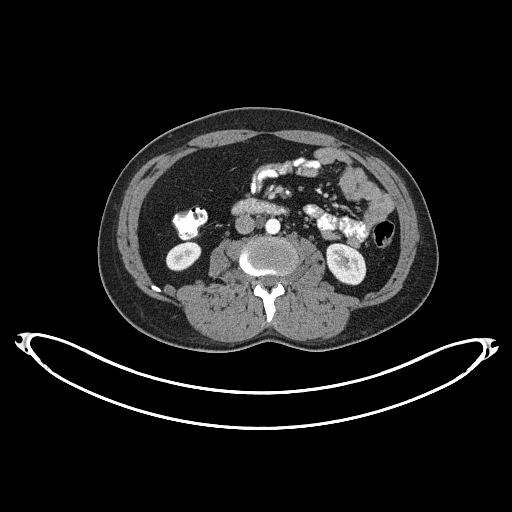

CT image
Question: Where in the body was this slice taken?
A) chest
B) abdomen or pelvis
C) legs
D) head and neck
Answer: B) abdomen or pelvis
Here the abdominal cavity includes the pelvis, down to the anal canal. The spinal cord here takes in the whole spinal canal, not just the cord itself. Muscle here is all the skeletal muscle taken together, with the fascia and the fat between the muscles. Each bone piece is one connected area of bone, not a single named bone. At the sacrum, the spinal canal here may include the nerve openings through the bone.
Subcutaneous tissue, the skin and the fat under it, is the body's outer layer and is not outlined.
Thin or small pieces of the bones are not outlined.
Outlined structures:
muscle: [[230,343],[248,340],[265,329],[273,329],[281,335],[297,341],[325,340],[337,335],[343,330],[353,310],[382,303],[401,289],[415,257],[419,241],[418,223],[411,197],[403,180],[383,160],[323,133],[308,130],[259,132],[228,129],[212,131],[191,139],[178,148],[152,157],[136,171],[122,196],[116,231],[117,246],[126,270],[133,278],[135,285],[145,294],[157,300],[179,306],[183,310],[190,325],[202,336],[214,341]], around a hole outlined by [[267,322],[299,261],[293,234],[324,258],[324,281],[354,296],[380,290],[400,245],[393,202],[354,159],[256,135],[199,150],[168,169],[140,208],[139,244],[151,288],[161,292],[157,284],[224,282],[207,275],[209,254],[242,239],[238,264],[254,278]]
bones: [[267,322],[270,322],[274,315],[275,299],[285,292],[284,276],[292,271],[297,266],[299,261],[294,247],[287,240],[281,237],[270,236],[258,237],[249,241],[240,250],[238,260],[239,267],[245,273],[254,278],[253,293],[255,296],[259,297],[263,301]], around a hole outlined by [[269,291],[270,291],[270,289],[272,287],[276,285],[276,284],[278,282],[279,277],[276,277],[275,276],[265,276],[264,277],[260,277],[259,278],[257,278],[257,280],[258,282],[260,283],[263,287],[264,287],[267,290]]
abdominal cavity: [[354,296],[380,290],[393,272],[400,253],[398,222],[380,183],[338,149],[256,135],[199,150],[168,169],[143,201],[141,257],[156,284],[224,282],[207,275],[209,254],[221,242],[239,238],[245,244],[269,235],[289,241],[296,234],[324,258],[324,281]]
spinal cord: [[269,291],[270,291],[270,289],[272,287],[276,285],[276,284],[278,282],[279,277],[276,277],[275,276],[265,276],[264,277],[260,277],[259,278],[257,278],[257,280],[258,282],[260,283],[263,287],[264,287],[267,290]]
torso: [[208,352],[236,351],[267,341],[306,351],[336,349],[392,328],[422,305],[437,274],[436,235],[416,181],[389,150],[334,120],[286,108],[247,106],[176,126],[151,140],[128,161],[109,192],[98,232],[97,261],[104,290],[117,311],[140,332],[169,345]]